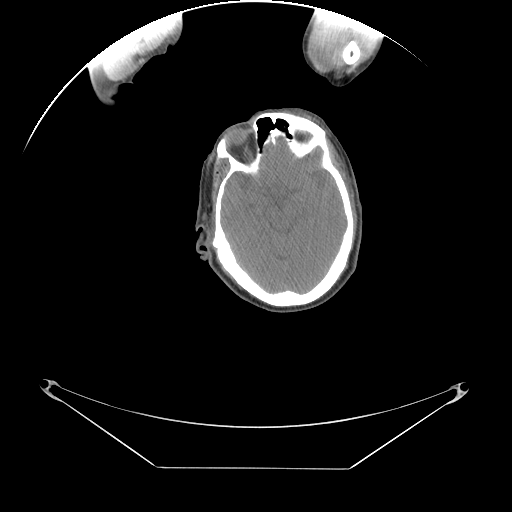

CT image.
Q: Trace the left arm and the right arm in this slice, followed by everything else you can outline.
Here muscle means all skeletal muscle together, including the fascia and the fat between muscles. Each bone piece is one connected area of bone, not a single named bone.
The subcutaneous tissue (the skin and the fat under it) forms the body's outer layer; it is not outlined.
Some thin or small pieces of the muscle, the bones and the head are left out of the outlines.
A: Outlines:
left arm: 319,8 341,13 350,18 360,21 364,24 376,29 383,35 381,39 382,41 381,47 372,63 351,82 341,87 337,87 330,84 325,78 313,71 305,62 302,54 301,41 304,30 313,13 316,10 318,10
right arm: 180,12 182,12 182,26 177,43 169,46 164,54 151,58 134,76 132,84 124,83 120,86 118,93 114,96 117,103 115,107 110,108 103,105 92,89 86,66 88,61 95,57 104,47 127,32 163,15
bones 1: 265,112 300,115 324,129 352,212 352,246 343,270 323,295 301,305 275,306 256,298 223,267 212,244 216,198 229,168 226,158 216,159 217,145 226,135 227,150 239,161 250,162 256,153 256,138 249,122 with holes at 279,139 297,159 305,157 316,148 320,149 319,165 333,179 345,217 345,227 338,249 326,272 303,292 291,289 269,291 255,281 237,261 221,222 222,200 228,180 236,172 257,175 266,150 270,145 276,146 and at 264,118 269,119 270,122 273,125 276,125 278,120 282,120 285,122 286,124 283,129 278,127 276,125 272,128 270,128 267,131 267,133 265,135 263,141 260,144 258,141 259,138 258,121 260,119 263,119 and at 298,133 301,133 302,134 307,134 308,135 308,136 307,137 307,138 306,138 305,139 299,139 297,137 297,134
bones 2: 350,41 354,41 356,43 357,43 358,45 360,46 360,50 361,51 361,53 355,65 353,65 352,64 346,64 343,61 340,55 344,47
brain: 279,139 297,159 305,157 316,148 320,149 319,165 333,179 345,217 345,227 338,249 326,272 303,292 291,289 269,291 255,281 237,261 221,222 222,200 228,180 236,172 257,175 266,150 270,145 276,146
head: 285,106 301,107 316,113 340,141 356,178 363,225 356,268 341,289 316,307 280,313 262,309 238,297 220,280 208,263 199,258 195,244 201,230 195,230 195,220 202,163 217,136 229,125 246,120 257,110; inner edge: 264,118 269,119 270,122 273,125 276,125 278,120 282,120 285,122 286,124 283,129 278,127 276,125 272,128 270,128 267,131 267,133 265,135 263,141 260,144 258,141 259,138 258,121 260,119 263,119
muscle 1: 319,8 341,13 353,19 355,21 374,28 379,32 377,39 378,42 373,53 354,72 352,72 345,77 341,77 340,78 330,77 316,68 308,57 307,54 307,42 308,41 308,36 310,33 310,27 with a hole at 350,41 354,41 356,43 357,43 358,45 360,46 360,50 361,51 361,53 355,65 353,65 352,64 346,64 343,61 340,55 344,47
muscle 2: 171,13 176,13 176,22 175,23 175,26 170,32 170,36 167,40 165,41 163,45 152,55 143,60 125,81 112,81 109,80 106,75 103,66 102,53 101,52 102,49 127,32 131,31 163,15 166,15
muscle 3: 215,151 215,159 226,159 228,163 228,168 219,183 215,198 214,230 211,244 215,248 216,256 222,267 244,290 240,289 223,272 217,263 215,259 215,254 209,241 209,226 203,217 206,209 206,165 209,158
muscle 4: 324,128 329,133 331,140 343,157 351,180 351,184 354,193 354,200 356,205 356,212 357,213 357,227 356,228 355,238 354,239 354,241 353,242 353,246 353,237 354,236 354,219 350,201 350,196 347,186 341,173 333,163 327,141 327,133
muscle 5: 293,113 303,113 304,114 306,114 310,116 312,118 314,118 316,120 317,120 319,122 319,123 322,126 323,126 323,127 322,127 318,123 317,123 309,117 307,117 306,116 304,116 300,114
muscle 6: 349,256 349,261 348,262 348,266 347,267 347,268 344,271 344,272 342,274 342,275 340,277 340,278 338,280 338,279 340,277 342,272 344,270 344,269 346,266 346,264 348,261 348,259 349,258